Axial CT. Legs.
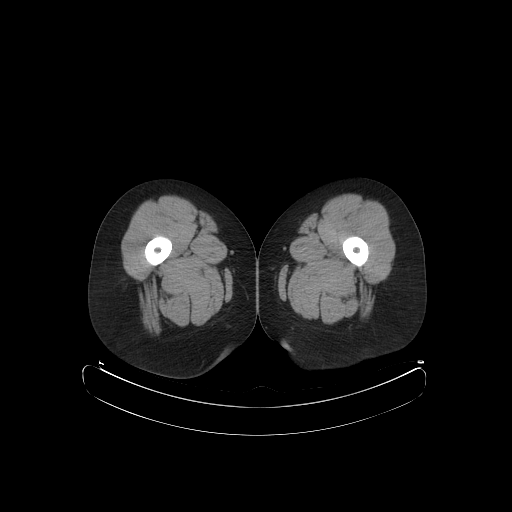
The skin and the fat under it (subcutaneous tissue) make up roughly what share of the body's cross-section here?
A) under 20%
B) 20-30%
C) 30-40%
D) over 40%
Answer: D) over 40%
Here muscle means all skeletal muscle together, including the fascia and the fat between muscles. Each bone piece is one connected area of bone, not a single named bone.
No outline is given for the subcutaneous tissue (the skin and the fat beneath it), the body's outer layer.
Outlines (x, y in pixels):
left leg: 346 176; 363 176; 386 184; 400 196; 410 211; 420 232; 424 247; 427 283; 426 312; 419 332; 403 349; 364 361; 347 369; 326 373; 311 373; 300 369; 290 361; 286 351; 265 333; 257 318; 257 253; 265 235; 289 205; 318 185
right leg: 156 178; 176 178; 189 181; 213 194; 243 224; 256 252; 257 299; 255 304; 255 325; 243 343; 219 365; 204 375; 195 378; 170 379; 129 365; 104 346; 94 332; 88 315; 88 275; 94 240; 100 223; 109 208; 125 191; 138 183
bones 1: 156 235; 162 235; 163 236; 165 236; 167 237; 171 241; 171 243; 172 244; 172 248; 171 249; 171 251; 169 255; 161 263; 157 265; 152 265; 150 264; 147 261; 144 255; 144 248; 147 242; 150 239; 151 239; 154 236
bones 2: 352 235; 356 235; 357 236; 361 237; 367 243; 368 245; 368 250; 369 251; 369 253; 368 254; 368 257; 367 258; 367 260; 361 266; 356 266; 354 264; 353 264; 345 256; 343 252; 343 250; 342 249; 342 242; 347 237; 351 236
muscle 1: 343 193; 357 193; 379 200; 385 207; 390 218; 396 252; 389 275; 377 286; 373 309; 368 320; 342 332; 331 332; 316 329; 291 316; 283 307; 276 294; 276 277; 286 257; 289 244; 301 223; 307 216; 319 209; 328 199, around a hole outlined by 352 235; 356 235; 357 236; 361 237; 367 243; 368 245; 368 250; 369 251; 369 253; 368 254; 368 257; 367 258; 367 260; 361 266; 356 266; 354 264; 353 264; 345 256; 343 252; 343 250; 342 249; 342 242; 347 237; 351 236
muscle 2: 155 194; 175 194; 187 198; 212 217; 217 225; 218 235; 228 249; 227 267; 232 278; 231 299; 223 305; 209 323; 199 327; 196 331; 162 337; 151 336; 143 327; 137 305; 137 290; 123 268; 120 248; 121 239; 134 211; 144 200; inner edge: 156 235; 162 235; 163 236; 165 236; 167 237; 171 241; 171 243; 172 244; 172 248; 171 249; 171 251; 169 255; 161 263; 157 265; 152 265; 150 264; 147 261; 144 255; 144 248; 147 242; 150 239; 151 239; 154 236